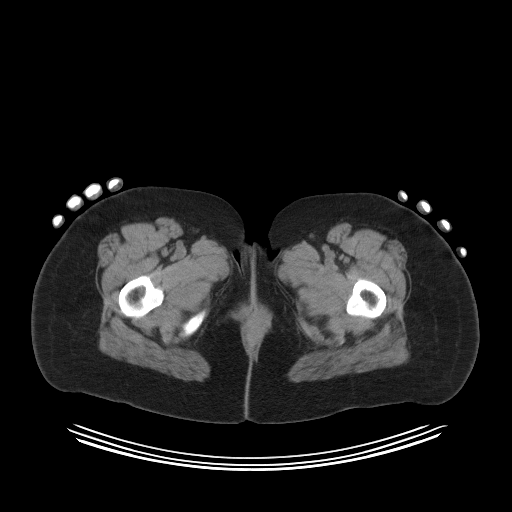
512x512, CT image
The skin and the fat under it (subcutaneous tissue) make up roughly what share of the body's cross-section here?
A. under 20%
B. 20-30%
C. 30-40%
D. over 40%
D. over 40%
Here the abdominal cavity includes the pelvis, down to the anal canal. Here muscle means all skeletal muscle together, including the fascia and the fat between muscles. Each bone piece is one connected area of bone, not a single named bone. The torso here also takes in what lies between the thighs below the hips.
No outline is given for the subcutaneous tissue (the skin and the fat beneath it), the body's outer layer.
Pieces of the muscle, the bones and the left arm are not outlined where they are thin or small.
{"muscle":[{"outer":[[326,215],[359,218],[400,236],[407,253],[406,268],[411,276],[411,291],[403,308],[403,317],[412,352],[407,362],[393,367],[324,380],[291,382],[286,373],[303,354],[298,346],[298,334],[290,302],[275,284],[273,270],[281,252],[308,239],[315,221]],"hole":[[359,278],[367,279],[376,283],[384,291],[385,293],[385,295],[386,296],[386,305],[385,306],[385,308],[383,312],[378,317],[376,318],[367,318],[366,317],[363,317],[362,316],[350,315],[348,314],[346,311],[346,302],[352,292],[352,289],[355,282]]},{"outer":[[156,215],[190,219],[199,224],[226,248],[234,269],[234,278],[231,284],[213,305],[206,327],[194,347],[211,366],[209,377],[201,382],[185,381],[147,367],[117,360],[104,354],[98,348],[98,328],[103,302],[95,283],[97,246],[107,228],[128,218]],"holes":[[[141,275],[148,275],[152,283],[156,287],[159,287],[163,291],[163,300],[160,305],[153,308],[141,317],[139,317],[138,318],[135,318],[134,317],[126,317],[120,312],[119,306],[118,305],[118,295],[119,294],[120,289],[124,285],[124,284],[129,280]],[[201,310],[205,310],[205,311],[206,312],[206,315],[205,316],[204,319],[202,321],[201,324],[199,326],[199,327],[192,334],[191,334],[188,336],[184,336],[182,333],[183,332],[183,329],[182,328],[182,325],[189,318],[190,318],[192,316],[195,315]]]},{"outer":[[252,300],[260,300],[270,305],[273,307],[274,309],[274,321],[271,325],[269,331],[263,338],[263,340],[258,351],[257,359],[256,360],[253,358],[250,359],[249,356],[245,351],[245,349],[241,340],[240,321],[232,317],[230,313],[233,309],[241,304]],"hole":[[260,310],[262,310],[266,313],[265,322],[266,324],[268,325],[263,331],[263,333],[261,334],[261,336],[259,338],[259,340],[257,342],[257,344],[254,349],[251,349],[246,341],[246,337],[244,333],[244,326],[248,321],[248,317],[252,315],[255,312]]}],"left_arm":[[[421,199],[424,199],[426,200],[429,203],[430,205],[430,207],[431,208],[431,214],[430,216],[428,217],[424,215],[423,216],[421,215],[417,211],[417,207],[416,206],[416,204],[417,202]],[[445,219],[446,219],[447,220],[448,220],[450,222],[450,223],[451,224],[451,229],[448,232],[444,232],[443,231],[442,231],[440,229],[439,229],[439,228],[437,226],[437,221],[438,220],[444,220]],[[399,190],[401,190],[402,191],[404,191],[405,192],[406,192],[406,193],[407,194],[407,195],[408,196],[408,199],[407,200],[407,201],[406,201],[405,202],[403,202],[397,196],[397,194],[398,193],[398,191]],[[457,246],[460,246],[462,248],[463,248],[464,249],[465,249],[465,250],[466,251],[466,254],[465,255],[465,256],[464,256],[463,257],[462,257],[461,256],[460,256],[459,257],[459,256],[458,255],[458,254],[456,251],[456,248],[457,247]]],"right_leg":[[[141,185],[172,186],[215,194],[228,201],[237,210],[244,224],[245,236],[236,249],[236,268],[194,421],[157,414],[125,403],[114,402],[85,393],[58,390],[42,376],[33,352],[30,326],[32,295],[38,274],[50,250],[73,219],[94,201],[130,187]]],"abdominal_cavity":[[[260,310],[262,310],[266,313],[265,322],[266,324],[268,325],[263,331],[263,333],[261,334],[261,336],[259,338],[259,340],[257,342],[257,344],[254,349],[251,349],[246,341],[246,337],[244,333],[244,326],[248,321],[248,317],[252,315],[255,312]]],"left_leg":[[[355,191],[374,192],[395,201],[398,198],[404,205],[427,220],[452,250],[455,250],[469,278],[476,300],[479,347],[473,368],[464,385],[451,399],[441,404],[421,405],[406,402],[353,408],[313,420],[266,245],[267,234],[278,211],[298,198],[314,194]]],"bones":[[[141,275],[148,275],[152,283],[156,287],[159,287],[163,291],[163,300],[160,305],[153,308],[141,317],[139,317],[138,318],[135,318],[134,317],[126,317],[120,312],[119,306],[118,305],[118,295],[119,294],[120,289],[124,285],[124,284],[129,280]],[[359,278],[367,279],[376,283],[384,291],[385,293],[385,295],[386,296],[386,305],[385,306],[385,308],[383,312],[378,317],[376,318],[367,318],[366,317],[363,317],[362,316],[350,315],[348,314],[346,311],[346,302],[352,292],[352,289],[355,282]],[[201,310],[205,310],[205,311],[206,312],[206,315],[205,316],[204,319],[202,321],[201,324],[199,326],[199,327],[192,334],[191,334],[188,336],[184,336],[182,333],[183,332],[183,329],[182,328],[182,325],[189,318],[190,318],[192,316],[195,315]],[[91,184],[97,184],[98,185],[99,185],[99,186],[100,187],[100,189],[99,190],[99,191],[97,193],[96,193],[95,194],[94,194],[93,195],[92,195],[90,197],[87,197],[86,196],[86,195],[84,192],[85,191],[85,190],[86,189],[86,188]],[[73,196],[79,196],[81,198],[81,201],[80,202],[80,203],[78,205],[76,205],[74,207],[73,207],[72,208],[70,208],[69,207],[68,207],[67,206],[67,202],[68,201],[68,200],[71,197],[72,197]],[[421,201],[424,201],[425,202],[426,202],[429,205],[429,206],[430,207],[430,211],[429,212],[427,212],[426,211],[425,211],[422,208],[422,207],[421,206],[421,205],[420,204],[420,202]]],"right_arm":[[[90,183],[98,183],[99,184],[100,184],[103,188],[103,192],[102,193],[102,194],[95,200],[94,200],[93,201],[92,200],[90,200],[88,197],[87,198],[84,197],[84,196],[83,195],[83,189],[84,188],[84,187],[86,185],[87,185]],[[76,193],[79,193],[81,194],[82,196],[82,199],[81,200],[83,201],[83,203],[82,205],[77,210],[75,211],[70,211],[70,210],[67,207],[66,205],[66,203],[67,201],[71,197],[71,196],[73,194],[75,194]],[[112,177],[119,177],[121,178],[123,181],[123,183],[120,189],[121,190],[119,190],[118,191],[116,191],[115,192],[113,192],[111,193],[110,190],[108,189],[106,186],[106,182],[107,180],[108,180]],[[58,212],[60,212],[61,213],[62,213],[62,214],[63,215],[63,217],[64,218],[64,221],[63,222],[63,223],[58,228],[55,229],[54,228],[53,228],[53,227],[52,226],[52,220],[53,219],[53,218],[55,216],[56,213],[57,213]]],"torso":[[[246,236],[247,241],[250,243],[254,240],[257,240],[260,243],[265,243],[270,258],[312,420],[282,424],[258,424],[248,420],[237,424],[219,424],[218,423],[206,423],[195,421],[237,268],[237,249]]]}